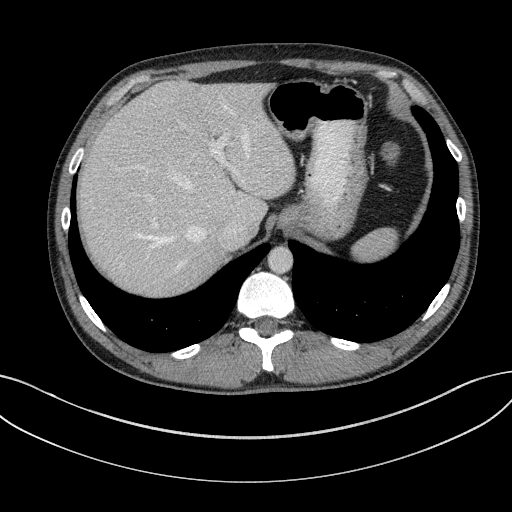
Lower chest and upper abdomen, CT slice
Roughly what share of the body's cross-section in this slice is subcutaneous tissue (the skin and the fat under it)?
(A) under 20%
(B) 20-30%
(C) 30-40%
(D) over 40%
(A) under 20%
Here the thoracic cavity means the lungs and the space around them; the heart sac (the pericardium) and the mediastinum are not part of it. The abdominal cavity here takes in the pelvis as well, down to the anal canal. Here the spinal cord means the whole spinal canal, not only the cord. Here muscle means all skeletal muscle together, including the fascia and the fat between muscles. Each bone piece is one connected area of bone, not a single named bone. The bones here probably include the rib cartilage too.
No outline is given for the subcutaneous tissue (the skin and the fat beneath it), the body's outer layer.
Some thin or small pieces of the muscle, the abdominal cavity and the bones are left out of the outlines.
The spinal cord is outlined by [[263,336],[268,336],[269,335],[271,335],[273,333],[277,331],[279,328],[278,327],[279,326],[278,325],[279,320],[275,318],[273,318],[270,316],[262,316],[261,317],[259,317],[255,319],[254,320],[254,327],[257,330],[258,333]]. The thoracic cavity appears in 2 outlined pieces: piece 1: [[358,342],[391,336],[421,315],[447,280],[458,250],[457,164],[438,125],[418,105],[412,107],[412,112],[427,136],[434,164],[434,181],[420,225],[398,251],[382,262],[356,265],[320,254],[295,240],[288,241],[294,256],[292,289],[298,309],[315,328]]; piece 2: [[152,352],[169,352],[202,341],[215,333],[233,311],[241,283],[267,252],[269,244],[261,244],[236,258],[203,285],[187,294],[156,300],[130,295],[105,280],[93,268],[83,251],[75,219],[75,174],[70,195],[68,246],[78,284],[112,331],[131,345]]. The torso is outlined by [[219,395],[315,391],[373,380],[400,369],[429,349],[463,307],[473,283],[479,246],[475,162],[440,96],[406,62],[323,42],[248,42],[158,55],[113,74],[93,95],[69,133],[50,181],[46,237],[54,288],[70,326],[97,359],[117,372],[157,386]]. The mediastinum is outlined by [[291,285],[293,256],[288,247],[288,244],[287,243],[288,240],[286,240],[283,238],[280,238],[277,236],[274,238],[272,238],[272,239],[270,240],[269,242],[270,244],[270,249],[262,258],[259,263],[252,270],[250,274],[260,270],[270,271],[284,278]]. The muscle is outlined by [[223,388],[240,387],[265,371],[260,365],[259,348],[237,333],[247,320],[235,310],[215,334],[202,342],[197,354],[182,360],[169,353],[140,350],[111,330],[104,333],[83,311],[77,298],[81,291],[69,258],[67,234],[60,225],[61,209],[69,202],[72,176],[67,168],[72,154],[79,146],[85,147],[128,95],[166,77],[195,78],[276,62],[330,74],[381,77],[375,74],[377,70],[395,70],[399,78],[387,79],[399,83],[401,77],[406,77],[413,82],[426,99],[422,106],[444,137],[449,137],[462,152],[462,161],[457,163],[466,218],[459,224],[459,250],[448,278],[451,287],[427,320],[422,322],[419,317],[403,331],[361,343],[356,351],[333,346],[329,336],[315,329],[296,308],[284,320],[284,326],[291,328],[294,336],[274,348],[274,369],[270,372],[300,383],[348,378],[390,364],[406,353],[453,307],[468,269],[473,201],[467,156],[434,98],[405,71],[366,62],[311,58],[216,60],[149,68],[115,84],[82,125],[62,168],[54,221],[61,274],[76,319],[92,338],[143,372],[170,381]]; inner edge: [[107,106],[109,106],[113,104],[116,101],[120,99],[134,85],[137,83],[140,83],[141,82],[148,80],[150,77],[149,75],[142,74],[141,75],[136,76],[133,78],[131,78],[123,86],[114,92],[114,93],[107,100],[106,102],[106,105]]. The bones appear in 11 outlined pieces: piece 1: [[266,371],[273,369],[271,362],[273,348],[293,336],[293,331],[283,326],[283,320],[296,306],[291,286],[284,279],[270,272],[260,271],[249,275],[242,283],[235,309],[248,320],[245,326],[239,328],[238,333],[241,338],[260,348],[262,352],[261,365]], around a hole outlined by [[263,336],[268,336],[269,335],[271,335],[273,333],[277,331],[279,328],[278,327],[279,326],[278,325],[279,320],[275,318],[273,318],[270,316],[262,316],[261,317],[259,317],[255,319],[254,320],[254,327],[257,330],[258,333]]; piece 2: [[107,106],[109,106],[113,104],[116,101],[120,99],[134,85],[137,83],[140,83],[141,82],[148,80],[150,77],[149,75],[142,74],[141,75],[136,76],[133,78],[131,78],[123,86],[114,92],[114,93],[107,100],[106,102],[106,105]]; piece 3: [[422,321],[424,321],[426,319],[427,319],[440,306],[440,305],[442,303],[448,293],[448,291],[450,287],[450,283],[449,282],[447,281],[444,284],[444,285],[432,300],[426,310],[422,314],[422,315],[420,317],[420,319]]; piece 4: [[104,332],[107,331],[109,329],[103,323],[101,319],[94,311],[94,310],[89,304],[88,301],[83,295],[83,294],[81,292],[80,292],[78,294],[78,298],[79,299],[79,301],[84,311],[86,313],[88,317],[102,331]]; piece 5: [[421,105],[424,105],[426,102],[421,92],[414,85],[414,84],[412,83],[409,80],[408,80],[406,78],[401,78],[400,79],[400,83],[401,85],[404,88],[405,91],[413,99],[419,102],[421,104]]; piece 6: [[177,359],[182,359],[183,358],[190,357],[194,355],[196,353],[197,353],[200,350],[201,348],[201,342],[199,343],[195,343],[187,347],[185,347],[181,349],[178,349],[175,351],[170,352],[170,355],[172,357],[174,358],[176,358]]; piece 7: [[346,350],[356,350],[360,347],[360,343],[358,343],[354,341],[345,340],[344,339],[341,339],[340,338],[337,338],[336,337],[333,337],[332,336],[330,336],[329,338],[329,341],[333,345],[334,345],[336,347],[338,347],[342,349],[345,349]]; piece 8: [[71,175],[73,175],[75,173],[83,157],[83,154],[84,153],[84,150],[85,149],[83,146],[81,146],[79,147],[75,151],[75,152],[73,154],[71,158],[71,160],[69,164],[69,167],[68,168],[68,172],[69,174]]; piece 9: [[66,233],[67,233],[67,232],[68,231],[68,228],[69,227],[69,222],[70,221],[70,209],[69,208],[69,203],[68,204],[65,205],[63,207],[63,208],[62,209],[62,211],[61,212],[61,225],[62,226],[62,228],[63,229],[63,230]]; piece 10: [[459,223],[462,223],[463,222],[463,221],[464,220],[464,219],[465,218],[465,201],[464,200],[464,199],[460,195],[458,195],[457,196],[457,199],[456,200],[456,210],[457,211],[457,216],[458,217],[458,220],[459,221]]; piece 11: [[457,162],[460,162],[461,161],[461,152],[460,151],[460,150],[457,147],[457,146],[449,138],[446,137],[445,138],[445,141],[446,142],[446,144],[447,145],[447,147],[448,148],[449,151],[451,153],[452,156],[454,158],[454,159]]. The abdominal cavity is outlined by [[156,299],[197,288],[236,257],[277,235],[356,264],[389,257],[419,225],[433,181],[426,136],[411,112],[417,104],[395,81],[367,74],[330,75],[276,63],[195,79],[157,80],[128,96],[86,145],[76,172],[76,219],[82,246],[94,268],[123,291]].